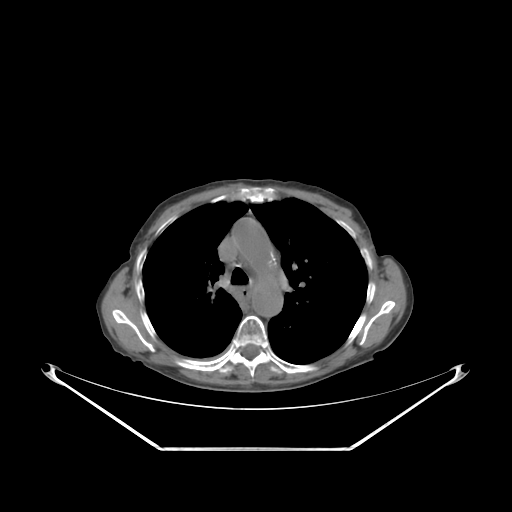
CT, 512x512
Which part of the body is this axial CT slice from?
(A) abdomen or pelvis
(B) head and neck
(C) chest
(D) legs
Answer: (C) chest
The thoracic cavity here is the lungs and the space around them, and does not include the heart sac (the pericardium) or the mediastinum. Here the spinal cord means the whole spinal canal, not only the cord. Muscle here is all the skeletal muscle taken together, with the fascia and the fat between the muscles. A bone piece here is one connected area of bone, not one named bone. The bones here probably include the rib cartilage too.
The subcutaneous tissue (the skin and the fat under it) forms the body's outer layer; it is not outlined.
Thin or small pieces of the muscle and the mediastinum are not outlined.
{"torso":[[[236,178],[296,180],[346,199],[365,219],[377,252],[391,254],[401,262],[413,286],[413,309],[400,334],[376,353],[373,360],[299,389],[230,393],[178,383],[112,349],[101,331],[95,302],[111,272],[128,258],[130,243],[139,228],[169,196],[210,181]]],"mediastinum":[[[249,207],[267,232],[271,241],[279,250],[281,267],[288,281],[287,291],[283,298],[282,309],[268,321],[266,326],[262,319],[255,314],[247,314],[242,317],[242,311],[239,305],[225,288],[225,266],[219,259],[217,252],[220,242],[234,222],[241,217]]],"thoracic_cavity":[[[283,197],[295,197],[306,201],[331,218],[355,242],[367,270],[368,281],[364,304],[344,342],[332,352],[310,363],[293,363],[281,358],[272,349],[267,332],[269,321],[283,309],[289,281],[282,267],[280,250],[249,206],[251,203],[272,202],[280,200]],[[220,201],[240,201],[248,207],[233,222],[216,248],[218,259],[224,266],[224,288],[238,305],[241,311],[241,319],[225,351],[214,358],[205,360],[180,354],[158,335],[146,309],[142,271],[149,248],[168,226],[181,215],[202,204],[207,202],[213,204]]],"muscle":[{"outer":[[237,183],[250,186],[214,196],[180,215],[171,214],[155,230],[148,249],[144,246],[138,252],[135,259],[138,277],[134,281],[134,289],[139,302],[145,304],[145,309],[140,309],[139,315],[150,337],[156,341],[158,336],[183,356],[173,358],[179,367],[225,374],[235,365],[242,364],[252,378],[258,365],[269,362],[272,363],[269,369],[278,374],[315,371],[319,367],[314,362],[343,344],[344,347],[348,346],[361,331],[357,344],[364,344],[373,322],[389,313],[396,304],[392,299],[385,300],[367,320],[367,314],[362,311],[365,304],[372,302],[376,291],[375,282],[368,277],[373,267],[369,250],[363,245],[357,245],[355,230],[343,219],[332,218],[301,198],[282,197],[275,188],[261,186],[277,185],[315,192],[348,208],[364,230],[378,264],[381,266],[384,259],[390,258],[399,267],[406,288],[406,306],[398,322],[379,344],[331,371],[303,381],[276,385],[219,385],[192,380],[173,367],[146,361],[117,343],[103,319],[101,302],[118,272],[126,266],[132,267],[137,246],[148,228],[166,207],[192,194]],"hole":[[114,309],[119,309],[121,310],[126,315],[126,316],[134,324],[135,324],[135,325],[138,328],[142,336],[148,342],[152,344],[155,349],[155,351],[153,352],[151,351],[140,340],[135,331],[128,324],[126,323],[118,323],[115,320],[112,314],[112,311]]}],"spinal_cord":[[[249,344],[252,344],[255,346],[257,346],[258,347],[259,347],[259,351],[258,352],[258,353],[255,356],[254,356],[252,358],[247,358],[245,356],[244,356],[242,354],[242,353],[241,352],[241,350],[242,349],[242,348],[243,348],[245,346],[246,346]]],"bones":[{"outer":[[247,315],[261,319],[266,327],[270,347],[281,359],[293,364],[313,363],[318,368],[307,372],[278,373],[270,369],[273,363],[269,361],[258,364],[252,377],[242,363],[235,364],[225,373],[177,365],[175,357],[207,361],[220,356],[228,348],[242,318]],"hole":[[249,344],[252,344],[255,346],[257,346],[258,347],[259,347],[259,351],[258,352],[258,353],[255,356],[254,356],[252,358],[247,358],[245,356],[244,356],[242,354],[242,353],[241,352],[241,350],[242,349],[242,348],[243,348],[245,346],[246,346]]},[[251,186],[271,187],[275,189],[276,192],[281,197],[280,199],[272,201],[264,201],[261,203],[250,202],[248,200],[246,201],[241,201],[240,200],[234,200],[233,201],[220,200],[213,203],[208,201],[210,199],[219,195],[236,192],[240,188],[250,187]],[[387,300],[394,301],[395,303],[394,306],[389,312],[381,314],[372,322],[367,331],[366,338],[363,344],[362,345],[358,344],[363,334],[363,331],[361,330],[348,345],[344,346],[344,343],[360,314],[364,312],[366,314],[367,321],[380,309],[382,304]],[[144,247],[147,248],[147,253],[141,271],[141,278],[142,279],[142,285],[143,286],[145,297],[144,298],[144,302],[141,303],[138,298],[135,289],[135,281],[139,277],[136,268],[136,259],[139,252]],[[114,309],[119,309],[121,310],[126,315],[126,316],[134,324],[135,324],[135,325],[138,328],[142,336],[148,342],[152,344],[155,349],[155,351],[153,352],[151,351],[140,340],[135,331],[128,324],[126,323],[118,323],[115,320],[112,314],[112,311]],[[142,309],[146,311],[147,313],[147,315],[151,322],[151,324],[153,326],[157,334],[157,336],[156,337],[156,340],[154,340],[151,337],[151,336],[147,331],[142,321],[142,319],[140,315],[140,310]],[[173,214],[177,214],[179,216],[176,219],[175,219],[169,225],[168,225],[163,230],[163,231],[159,235],[158,235],[155,238],[154,237],[154,234],[155,233],[155,232],[156,231],[156,230],[159,227],[159,226],[167,218],[168,218],[171,215],[172,215]],[[361,246],[365,247],[368,250],[369,254],[370,255],[370,257],[371,258],[371,261],[372,262],[372,267],[371,268],[371,270],[369,272],[368,272],[368,270],[367,269],[366,264],[364,261],[364,259],[362,257],[360,253],[360,251],[359,250],[359,247]],[[334,218],[338,218],[339,219],[341,219],[342,220],[343,220],[346,223],[347,223],[354,230],[354,231],[355,232],[355,234],[356,235],[356,238],[355,239],[355,241],[352,238],[352,237],[340,225],[339,225],[333,219]],[[369,280],[371,280],[374,282],[375,284],[375,291],[374,292],[374,294],[373,295],[373,297],[372,298],[372,300],[371,302],[369,304],[366,304],[365,303],[365,301],[366,300],[366,293],[367,292],[367,286],[368,285],[368,282]]]}